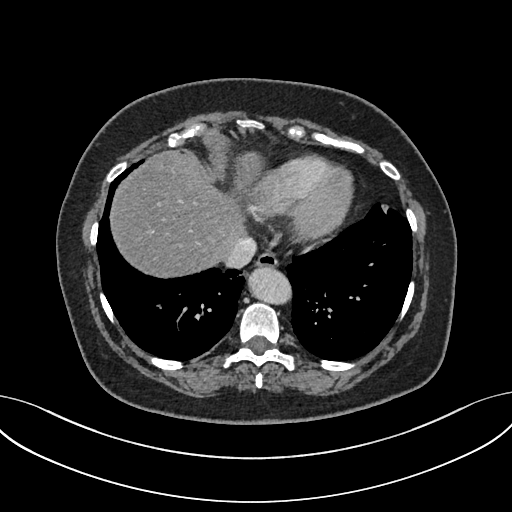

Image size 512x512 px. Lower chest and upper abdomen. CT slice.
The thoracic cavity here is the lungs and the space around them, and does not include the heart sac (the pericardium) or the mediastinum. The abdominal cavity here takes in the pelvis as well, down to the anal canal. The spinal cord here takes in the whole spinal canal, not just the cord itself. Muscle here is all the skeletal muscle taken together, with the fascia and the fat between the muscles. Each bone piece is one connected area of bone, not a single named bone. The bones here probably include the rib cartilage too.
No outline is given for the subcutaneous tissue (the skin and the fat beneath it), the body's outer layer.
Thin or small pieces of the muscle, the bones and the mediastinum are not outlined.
Outlined structures:
spinal cord: [[255,336],[261,336],[262,337],[264,337],[268,341],[268,342],[269,343],[269,344],[270,345],[270,346],[269,347],[269,348],[267,348],[261,354],[256,354],[252,350],[252,349],[251,348],[250,348],[248,346],[248,342],[253,337],[254,337]]
pericardium: [[287,146],[295,146],[312,149],[346,160],[357,168],[363,182],[361,201],[355,210],[351,221],[329,240],[317,247],[301,253],[296,253],[292,257],[267,250],[259,244],[252,236],[249,230],[243,210],[244,196],[252,184],[261,175],[268,160],[280,147]]
thoracic cavity 1: [[377,202],[383,208],[385,206],[399,208],[400,204],[411,231],[412,269],[400,311],[385,336],[365,354],[353,360],[318,359],[300,347],[293,332],[289,320],[292,306],[292,288],[287,277],[286,266],[292,261],[294,255],[319,247],[347,226],[361,220]]
thoracic cavity 2: [[141,159],[142,162],[115,188],[108,215],[111,237],[125,261],[143,274],[160,279],[189,276],[211,268],[222,271],[234,268],[244,280],[237,301],[238,310],[225,338],[209,351],[187,361],[153,355],[137,345],[120,325],[102,290],[96,245],[109,186]]
bones 1: [[254,302],[267,304],[278,313],[281,331],[276,346],[281,351],[293,355],[295,364],[293,370],[290,371],[286,369],[276,361],[267,361],[259,367],[248,360],[233,362],[227,368],[222,366],[225,356],[234,352],[241,345],[238,335],[240,316],[243,310]]; inner edge: [[255,336],[261,336],[262,337],[264,337],[268,341],[268,342],[269,343],[269,344],[270,345],[270,346],[269,347],[269,348],[267,348],[261,354],[256,354],[252,350],[252,349],[251,348],[250,348],[248,346],[248,342],[253,337],[254,337]]
bones 2: [[312,132],[320,132],[330,137],[340,138],[344,140],[347,140],[348,141],[357,143],[364,149],[364,152],[362,154],[358,154],[355,152],[346,150],[345,149],[342,149],[338,147],[335,147],[332,145],[323,145],[319,142],[312,139],[310,137],[310,134]]
bones 3: [[199,122],[205,123],[209,127],[209,129],[207,129],[199,133],[197,135],[193,136],[191,138],[187,138],[185,140],[184,143],[177,145],[174,147],[170,147],[166,145],[168,136],[171,133],[173,132],[180,132],[182,130],[189,127],[192,124],[198,123]]
bones 4: [[150,355],[156,356],[157,357],[159,357],[163,359],[166,359],[167,360],[176,360],[177,361],[180,361],[183,363],[183,367],[179,369],[175,369],[174,370],[169,370],[168,369],[162,369],[161,368],[159,368],[152,364],[149,361],[148,357]]
bones 5: [[321,359],[325,359],[326,360],[331,360],[332,361],[352,361],[356,363],[356,364],[354,367],[352,368],[350,368],[349,369],[347,369],[346,370],[339,370],[338,371],[336,371],[335,370],[327,370],[326,369],[324,369],[322,368],[320,366],[320,360]]
bones 6: [[380,160],[387,160],[388,161],[389,161],[390,162],[391,162],[397,168],[397,169],[398,170],[398,171],[400,174],[400,178],[398,180],[393,180],[391,178],[390,178],[387,175],[386,175],[380,169],[380,168],[378,165],[378,162]]
bones 7: [[411,279],[414,280],[414,282],[415,283],[414,285],[414,292],[413,293],[413,296],[405,315],[401,320],[399,320],[398,319],[398,316],[401,311],[401,308],[403,305],[403,302],[404,301],[404,299],[407,292],[407,289]]
bones 8: [[124,160],[127,161],[127,162],[128,163],[128,166],[121,173],[120,173],[110,183],[108,183],[106,181],[106,175],[109,171],[109,170],[111,168],[111,167],[112,166],[113,166],[116,163],[117,163],[118,162],[120,162],[121,161],[123,161]]
bones 9: [[100,291],[102,291],[103,292],[103,293],[104,294],[104,295],[114,314],[114,316],[117,320],[117,321],[114,323],[112,323],[109,320],[109,319],[107,317],[107,316],[101,305],[101,303],[100,302],[100,300],[99,299],[99,296],[98,295],[98,294]]
bones 10: [[294,125],[299,125],[300,126],[302,126],[305,129],[305,130],[306,131],[306,135],[304,137],[303,137],[299,141],[297,141],[294,139],[292,139],[291,138],[290,138],[289,137],[288,137],[288,136],[287,135],[287,129],[290,126],[293,126]]
bones 11: [[238,118],[241,118],[242,119],[243,118],[253,118],[256,120],[258,120],[259,121],[261,121],[263,123],[264,123],[264,124],[265,125],[265,127],[264,128],[263,127],[241,127],[241,126],[240,125],[239,125],[238,124],[235,123],[235,120]]
bones 12: [[407,207],[410,207],[413,210],[413,211],[416,216],[416,219],[417,220],[417,230],[416,231],[416,232],[415,232],[413,234],[412,234],[412,231],[411,230],[411,228],[410,227],[410,225],[409,224],[409,223],[407,220],[407,218],[405,215],[405,210]]
bones 13: [[95,220],[97,220],[98,221],[98,227],[97,228],[97,241],[96,242],[96,244],[95,245],[95,246],[93,246],[92,245],[91,245],[91,244],[90,243],[90,240],[89,239],[89,235],[90,234],[90,228],[91,227],[91,225],[92,224],[92,223]]
muscle: [[231,109],[308,119],[361,140],[389,160],[380,159],[376,165],[359,155],[365,152],[359,143],[320,131],[312,131],[309,137],[322,145],[297,142],[307,135],[302,125],[290,125],[286,137],[273,133],[253,117],[238,117],[234,123],[210,129],[199,121],[171,132],[165,145],[129,165],[125,159],[118,161],[105,175],[109,185],[102,212],[91,223],[88,235],[98,260],[100,305],[108,320],[118,322],[127,336],[150,354],[148,361],[162,370],[183,368],[183,362],[209,352],[237,328],[240,345],[224,356],[224,369],[240,361],[257,368],[276,362],[291,372],[296,368],[294,355],[277,346],[282,327],[300,348],[319,360],[322,369],[352,369],[357,364],[354,360],[377,346],[396,320],[404,318],[415,292],[412,235],[418,230],[418,220],[410,206],[404,212],[402,209],[394,182],[401,178],[400,172],[426,215],[430,257],[426,309],[416,335],[387,363],[349,389],[329,395],[275,393],[261,388],[263,374],[259,370],[254,376],[255,391],[190,396],[126,363],[95,325],[84,285],[82,225],[111,163],[190,115]]
abdominal cavity: [[223,124],[236,124],[241,128],[263,128],[280,138],[278,149],[267,160],[260,175],[243,196],[242,210],[248,232],[215,267],[171,278],[143,273],[126,261],[112,237],[109,215],[116,188],[143,162],[141,158],[146,154],[162,146],[174,148],[182,145]]
torso: [[219,77],[301,81],[353,93],[393,119],[427,162],[452,215],[457,238],[457,272],[445,356],[436,373],[421,387],[333,417],[239,425],[182,419],[131,406],[106,392],[89,372],[72,330],[56,265],[57,220],[74,169],[98,130],[128,103],[170,86]]
mediastinum 1: [[249,231],[265,250],[291,257],[291,261],[285,266],[286,277],[291,288],[288,320],[299,346],[281,325],[279,313],[271,305],[261,301],[254,301],[242,310],[237,327],[227,336],[239,310],[238,301],[245,280],[237,268],[228,267],[222,270],[216,267]]
mediastinum 2: [[280,136],[297,143],[340,149],[358,155],[371,162],[395,184],[399,197],[399,207],[394,207],[392,205],[385,205],[383,207],[381,203],[377,201],[361,219],[349,224],[352,221],[363,197],[364,182],[358,168],[346,159],[312,148],[295,145],[280,146]]